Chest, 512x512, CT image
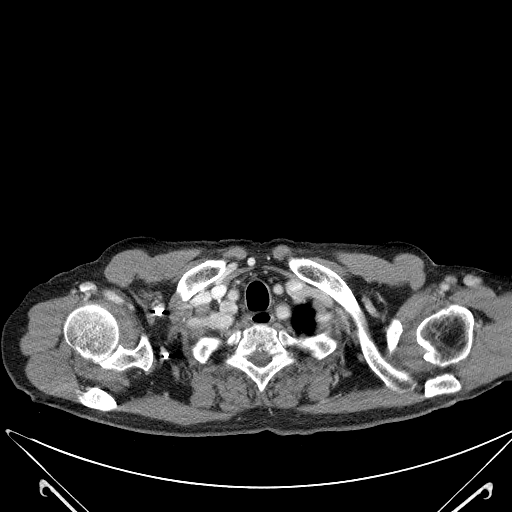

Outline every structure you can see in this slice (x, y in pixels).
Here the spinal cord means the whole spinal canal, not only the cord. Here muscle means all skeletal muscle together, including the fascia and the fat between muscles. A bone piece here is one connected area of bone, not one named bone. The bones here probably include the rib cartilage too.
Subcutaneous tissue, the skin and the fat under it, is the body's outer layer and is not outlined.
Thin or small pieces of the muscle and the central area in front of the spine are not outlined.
central area in front of the spine: 269 273; 299 282; 309 297; 311 306; 315 311; 315 326; 313 334; 297 336; 291 334; 283 327; 277 328; 265 322; 255 322; 246 326; 238 322; 230 325; 226 325; 222 322; 222 314; 211 296; 214 286; 220 282; 229 282; 240 276
muscle: 278 244; 386 259; 410 252; 424 262; 430 283; 448 274; 472 274; 496 292; 511 291; 510 372; 464 393; 456 393; 462 385; 451 371; 437 373; 424 380; 424 400; 400 407; 325 414; 256 407; 227 420; 189 425; 112 411; 116 399; 97 385; 79 390; 76 402; 41 391; 25 376; 27 357; 18 341; 27 330; 29 309; 82 282; 105 284; 103 270; 116 253; 230 245; 265 252, around holes outlined by 269 273; 299 282; 315 311; 313 334; 328 329; 337 346; 319 360; 300 353; 298 364; 284 366; 260 392; 243 371; 223 364; 226 346; 221 345; 205 363; 193 357; 191 346; 199 337; 224 340; 245 326; 222 322; 211 296; 214 286 and by 290 256; 309 257; 329 267; 347 284; 363 312; 367 331; 384 356; 384 327; 392 318; 399 319; 402 332; 395 351; 386 358; 395 367; 410 373; 417 383; 414 389; 394 390; 374 373; 362 354; 351 316; 323 290; 298 277; 287 265 and by 88 303; 98 304; 104 307; 115 317; 119 326; 118 342; 123 347; 132 349; 137 345; 142 334; 147 336; 153 352; 152 363; 148 371; 135 366; 120 371; 102 368; 90 360; 82 357; 66 342; 63 333; 63 325; 66 316; 75 308 and by 451 304; 458 304; 468 308; 472 312; 476 324; 474 327; 472 344; 468 355; 464 359; 443 368; 426 361; 423 358; 423 354; 425 351; 418 344; 416 340; 415 332; 419 323; 426 316; 435 312; 440 308; 447 307 and by 209 258; 224 258; 227 261; 227 265; 223 273; 221 275; 221 276; 215 281; 211 282; 209 284; 196 292; 187 301; 182 301; 177 296; 175 292; 175 289; 176 288; 177 283; 179 281; 183 274; 187 270; 188 270; 191 267
bones 1: 255 323; 283 328; 297 337; 318 334; 328 329; 337 346; 319 360; 307 352; 300 353; 298 364; 284 366; 260 392; 255 382; 243 371; 223 364; 228 351; 223 344; 205 363; 195 359; 191 352; 191 346; 199 337; 224 340; 232 331 with a hole at 254 352; 265 352; 271 356; 270 357; 270 360; 265 365; 264 365; 263 366; 258 366; 257 365; 256 365; 255 364; 254 364; 250 360; 249 360; 249 359; 248 358; 248 356; 249 356; 250 355; 251 355
bones 2: 290 256; 309 257; 329 267; 347 284; 363 312; 367 331; 384 356; 384 327; 392 318; 399 319; 402 332; 395 351; 386 358; 395 367; 410 373; 417 383; 414 389; 394 390; 374 373; 362 354; 351 316; 323 290; 298 277; 287 265
bones 3: 88 303; 98 304; 104 307; 115 317; 119 326; 118 342; 123 347; 132 349; 137 345; 142 334; 147 336; 153 352; 152 363; 148 371; 135 366; 120 371; 102 368; 90 360; 82 357; 66 342; 63 333; 63 325; 66 316; 75 308
bones 4: 451 304; 458 304; 468 308; 472 312; 476 324; 474 327; 472 344; 468 355; 464 359; 443 368; 426 361; 423 358; 423 354; 425 351; 418 344; 416 340; 415 332; 419 323; 426 316; 435 312; 440 308; 447 307
bones 5: 209 258; 224 258; 227 261; 227 265; 223 273; 221 275; 221 276; 215 281; 211 282; 209 284; 196 292; 187 301; 182 301; 177 296; 175 292; 175 289; 176 288; 177 283; 179 281; 183 274; 187 270; 188 270; 191 267
bones 6: 444 372; 451 372; 458 379; 461 385; 461 389; 459 391; 455 393; 451 393; 450 394; 441 394; 440 395; 436 395; 433 397; 425 398; 423 395; 424 394; 424 383; 425 382; 425 380; 429 377; 431 377; 437 374; 440 374
bones 7: 95 386; 97 386; 105 390; 115 399; 117 404; 117 406; 115 409; 111 411; 101 411; 100 410; 94 409; 91 407; 86 406; 80 403; 78 401; 77 395; 79 391; 82 392; 83 391; 85 391; 86 390; 86 388; 88 387; 94 387
right arm: 95 259; 130 308; 132 312; 130 325; 101 368; 89 380; 73 392; 66 395; 51 405; 34 402; 26 393; 15 387; 4 368; 0 354; 0 334; 3 325; 10 314; 21 302; 27 292; 34 286; 46 281; 59 272; 71 269; 79 264
torso: 132 236; 409 242; 434 262; 402 313; 404 339; 423 368; 450 381; 491 389; 418 417; 309 435; 270 431; 201 437; 156 435; 95 422; 50 406; 95 376; 131 325; 131 308; 96 258; 111 244
spinal cord: 254 352; 265 352; 271 356; 270 357; 270 360; 265 365; 264 365; 263 366; 258 366; 257 365; 256 365; 255 364; 254 364; 250 360; 249 360; 249 359; 248 358; 248 356; 249 356; 250 355; 251 355
left arm: 435 262; 438 264; 447 264; 448 265; 457 264; 464 266; 472 266; 491 272; 502 272; 511 274; 511 381; 504 381; 493 388; 484 388; 459 381; 447 379; 423 367; 419 363; 404 337; 404 333; 402 330; 403 313; 414 290; 430 267